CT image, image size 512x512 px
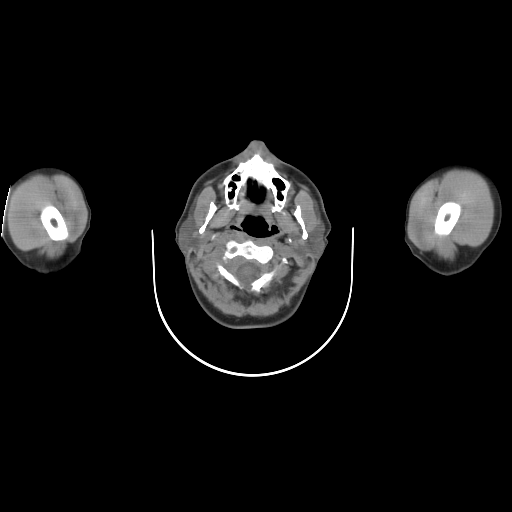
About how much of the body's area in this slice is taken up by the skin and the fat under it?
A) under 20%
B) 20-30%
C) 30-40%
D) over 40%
B) 20-30%
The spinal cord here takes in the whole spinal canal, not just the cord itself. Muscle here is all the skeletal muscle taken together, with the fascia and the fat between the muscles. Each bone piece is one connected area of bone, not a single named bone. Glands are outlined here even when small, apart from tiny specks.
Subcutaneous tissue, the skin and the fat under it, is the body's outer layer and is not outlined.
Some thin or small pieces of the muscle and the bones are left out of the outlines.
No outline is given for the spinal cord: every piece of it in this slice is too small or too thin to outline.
The head is outlined by 253 139; 262 140; 278 157; 303 171; 313 181; 322 196; 331 223; 331 230; 327 237; 328 243; 296 312; 286 321; 273 327; 235 329; 215 322; 203 311; 195 299; 188 281; 184 256; 175 241; 175 225; 195 180; 210 166; 239 152 with holes at 247 216; 252 216; 253 217; 260 217; 262 218; 267 224; 267 229; 268 230; 270 230; 273 226; 275 226; 277 230; 275 232; 266 236; 256 236; 255 235; 252 235; 245 231; 242 227; 242 225; 241 224; 244 220; 244 219 and at 249 182; 251 183; 253 182; 255 183; 258 187; 260 188; 262 188; 264 190; 264 194; 263 195; 263 198; 262 200; 259 203; 254 203; 252 201; 252 200; 250 198; 248 194; 248 184 and at 275 179; 277 179; 278 180; 279 180; 283 184; 283 187; 281 189; 279 189; 278 188; 278 187; 276 185; 276 184; 274 182; 274 180. The parotid glands appear in 2 outlined pieces: piece 1: 320 220; 323 223; 323 225; 324 226; 324 248; 323 249; 323 250; 318 255; 311 255; 309 253; 303 253; 299 249; 299 246; 300 245; 300 244; 305 239; 306 239; 309 237; 310 232; 313 231; 317 227; 317 225; 320 222; piece 2: 189 217; 192 218; 193 221; 195 223; 195 225; 196 226; 196 231; 199 237; 199 244; 195 248; 192 248; 191 247; 190 249; 187 251; 182 247; 179 241; 179 238; 178 236; 179 235; 179 230; 180 229; 180 226; 182 224; 182 223. The muscle appears in 3 outlined pieces: piece 1: 254 149; 269 155; 286 172; 311 190; 320 210; 321 220; 309 234; 305 228; 301 206; 297 203; 292 212; 300 226; 300 237; 303 240; 298 249; 303 254; 314 256; 314 259; 305 282; 289 305; 268 316; 237 317; 222 313; 207 300; 198 288; 189 268; 187 252; 200 244; 198 233; 202 234; 205 231; 218 207; 213 200; 209 202; 197 231; 196 223; 188 216; 194 198; 203 183 with holes at 257 152; 266 161; 271 162; 276 170; 290 182; 286 202; 282 209; 284 214; 279 211; 271 211; 270 204; 272 194; 269 190; 265 192; 267 198; 266 202; 246 203; 242 205; 239 210; 229 209; 225 202; 223 179; 240 161; 248 159 and at 230 240; 239 243; 251 240; 257 245; 268 245; 272 248; 272 258; 264 266; 263 270; 270 271; 275 269; 275 274; 263 293; 255 295; 245 289; 241 290; 220 274; 217 263; 230 269; 230 261; 225 261; 222 258; 226 250; 226 243 and at 247 216; 252 216; 253 217; 260 217; 262 218; 267 224; 267 229; 268 230; 270 230; 273 226; 275 226; 277 230; 275 232; 266 236; 256 236; 255 235; 252 235; 245 231; 242 227; 242 225; 241 224; 244 220; 244 219 and at 282 257; 283 257; 284 257; 285 258; 286 258; 286 259; 287 260; 288 261; 288 262; 288 263; 287 264; 286 264; 285 264; 284 264; 283 264; 282 264; 281 264; 281 263; 281 262; 281 261; 281 260; 281 259; 281 258; piece 2: 455 168; 471 170; 476 172; 486 180; 489 185; 494 201; 493 224; 484 242; 479 246; 475 247; 466 255; 452 262; 445 260; 434 260; 424 253; 422 253; 408 237; 407 224; 409 217; 410 203; 416 191; 425 182; 448 170, around a hole outlined by 447 201; 454 201; 455 202; 459 203; 461 206; 461 211; 456 223; 454 225; 453 228; 451 230; 449 234; 447 235; 444 235; 443 236; 439 236; 434 233; 434 222; 435 221; 435 218; 436 217; 437 211; 439 207; 444 202; 446 202; piece 3: 36 172; 42 173; 48 172; 52 174; 53 173; 62 173; 71 178; 80 189; 87 209; 87 221; 82 233; 62 255; 53 259; 39 258; 25 254; 15 246; 11 239; 7 227; 8 201; 10 198; 11 191; 13 189; 13 187; 29 175; inner edge: 47 204; 52 204; 54 206; 55 206; 58 209; 65 221; 65 223; 66 224; 66 226; 68 230; 68 236; 67 238; 66 238; 64 240; 52 240; 49 237; 45 228; 43 226; 41 222; 41 220; 40 219; 40 212; 42 208. The bones appear in 6 outlined pieces: piece 1: 257 152; 266 161; 271 162; 290 182; 282 209; 284 214; 271 211; 272 194; 269 190; 265 192; 267 201; 261 202; 265 190; 253 181; 247 184; 247 194; 253 203; 246 203; 236 210; 229 209; 225 202; 223 179; 240 161; 248 159 with a hole at 275 179; 277 179; 278 180; 279 180; 283 184; 283 187; 281 189; 279 189; 278 188; 278 187; 276 185; 276 184; 274 182; 274 180; piece 2: 230 240; 239 243; 251 240; 257 245; 272 248; 272 258; 263 270; 275 269; 275 274; 263 293; 255 295; 245 289; 241 290; 220 274; 217 268; 219 263; 248 286; 262 273; 262 267; 255 259; 236 256; 225 261; 222 258; 226 243; piece 3: 47 204; 52 204; 54 206; 55 206; 58 209; 65 221; 65 223; 66 224; 66 226; 68 230; 68 236; 67 238; 66 238; 64 240; 52 240; 49 237; 45 228; 43 226; 41 222; 41 220; 40 219; 40 212; 42 208; piece 4: 447 201; 454 201; 455 202; 459 203; 461 206; 461 211; 456 223; 454 225; 453 228; 451 230; 449 234; 447 235; 444 235; 443 236; 439 236; 434 233; 434 222; 435 221; 435 218; 436 217; 437 211; 439 207; 444 202; 446 202; piece 5: 211 201; 213 201; 214 202; 217 208; 215 212; 209 220; 208 223; 206 225; 206 227; 204 231; 202 233; 199 233; 198 232; 198 229; 203 223; 205 219; 206 214; 209 208; 209 204; piece 6: 297 204; 300 206; 300 208; 301 209; 301 216; 304 222; 304 228; 307 231; 307 233; 308 234; 308 236; 304 239; 301 237; 301 235; 302 234; 302 229; 301 228; 301 226; 298 223; 293 214; 293 212; 295 210; 295 208. The right arm is outlined by 47 165; 63 168; 77 178; 85 191; 86 197; 91 208; 92 216; 90 227; 82 242; 81 252; 73 262; 61 271; 49 274; 41 274; 22 265; 8 249; 1 237; 1 234; 3 229; 6 200; 9 189; 13 181; 18 176; 32 168. The brain is outlined by 236 257; 242 257; 243 259; 244 260; 246 260; 247 262; 249 262; 251 260; 255 260; 260 265; 261 267; 261 273; 256 278; 253 279; 248 284; 248 285; 245 285; 245 284; 243 283; 230 270; 230 262; 231 262; 232 260. The left arm is outlined by 450 163; 465 163; 476 166; 486 172; 492 178; 498 188; 501 197; 502 218; 499 230; 495 238; 477 261; 471 267; 460 273; 451 276; 444 276; 428 269; 417 258; 412 255; 403 237; 405 208; 410 193; 415 186; 428 174; 437 168.